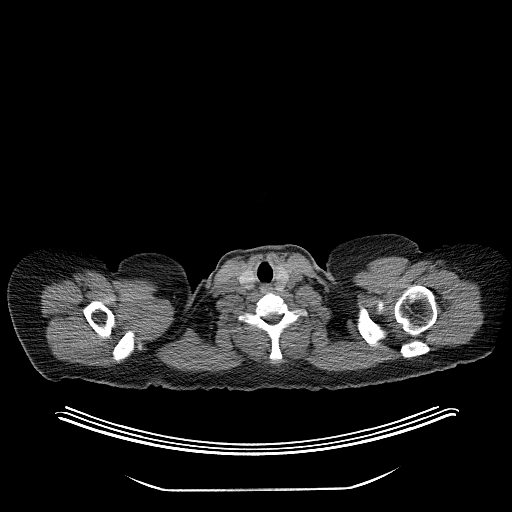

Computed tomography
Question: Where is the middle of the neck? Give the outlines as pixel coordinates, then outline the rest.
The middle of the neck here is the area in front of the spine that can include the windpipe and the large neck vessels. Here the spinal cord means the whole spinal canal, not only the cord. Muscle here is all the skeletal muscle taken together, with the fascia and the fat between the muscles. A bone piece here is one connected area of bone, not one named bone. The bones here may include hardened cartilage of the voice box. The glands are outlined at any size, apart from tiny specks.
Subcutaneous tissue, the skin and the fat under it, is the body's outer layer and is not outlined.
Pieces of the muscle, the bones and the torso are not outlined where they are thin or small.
Answer: Outlined structures:
middle of the neck 1: 262 258; 269 258; 277 263; 275 267; 274 278; 275 288; 278 291; 268 291; 264 293; 254 290; 247 293; 246 296; 240 296; 224 289; 225 281; 227 279; 233 278; 236 279; 243 288; 252 290; 255 287; 257 280; 252 265; 254 262
middle of the neck 2: 293 270; 298 270; 300 272; 301 272; 302 274; 302 278; 296 283; 296 284; 293 288; 291 289; 287 289; 286 288; 284 289; 285 286; 287 284; 287 283; 290 279; 289 278; 290 273; 291 271
bones 1: 268 292; 279 295; 291 308; 304 308; 307 311; 306 316; 299 316; 280 334; 279 348; 282 354; 282 359; 278 363; 272 363; 270 361; 271 340; 268 334; 254 325; 237 319; 239 314; 243 312; 251 312; 254 309; 256 302; inner edge: 271 313; 275 313; 276 314; 278 314; 279 315; 281 315; 281 318; 279 320; 279 321; 278 322; 277 322; 276 323; 269 323; 268 322; 267 322; 263 318; 263 317; 265 317; 266 316; 267 316; 269 314; 270 314
bones 2: 412 284; 417 284; 418 285; 425 286; 433 292; 435 296; 436 309; 437 310; 437 317; 435 320; 435 322; 429 328; 421 332; 417 336; 411 336; 408 334; 402 328; 402 325; 396 320; 394 315; 394 306; 397 300; 397 298; 405 289
bones 3: 94 300; 96 300; 97 301; 101 301; 109 309; 111 310; 112 313; 114 315; 114 318; 115 319; 115 324; 116 325; 112 330; 112 333; 111 334; 110 338; 102 338; 92 328; 83 313; 83 308; 88 303
bones 4: 360 307; 364 308; 367 311; 367 313; 370 318; 375 322; 378 323; 380 325; 380 326; 386 331; 387 334; 385 338; 380 341; 381 346; 379 347; 374 347; 370 345; 363 338; 363 337; 359 332; 357 328; 357 315; 358 314; 358 310
bones 5: 129 330; 131 330; 134 333; 135 341; 136 342; 140 340; 143 343; 144 348; 142 350; 139 350; 136 348; 130 356; 129 356; 126 359; 125 359; 120 363; 117 363; 115 361; 114 361; 112 358; 112 351; 119 339; 127 331
bones 6: 412 339; 418 339; 424 342; 429 347; 429 351; 428 351; 426 353; 424 353; 421 355; 419 355; 415 357; 412 357; 411 358; 404 358; 401 355; 400 353; 400 348; 401 347; 401 345; 404 342; 409 341
head and neck: 260 244; 294 244; 307 250; 316 263; 321 268; 324 268; 334 295; 335 329; 329 353; 319 369; 307 382; 290 389; 260 386; 251 383; 241 377; 238 377; 218 356; 206 335; 203 320; 203 294; 209 274; 221 256; 227 252; 238 248
spinal cord: 271 313; 275 313; 276 314; 278 314; 279 315; 281 315; 281 318; 279 320; 279 321; 278 322; 277 322; 276 323; 269 323; 268 322; 267 322; 263 318; 263 317; 265 317; 266 316; 267 316; 269 314; 270 314
torso 1: 380 233; 406 236; 416 242; 421 250; 401 270; 392 284; 391 302; 397 336; 407 341; 423 342; 456 366; 377 385; 336 390; 324 388; 317 391; 295 389; 307 383; 320 369; 334 341; 336 303; 332 284; 325 269; 329 251; 346 240
torso 2: 206 276; 202 294; 202 320; 205 335; 210 346; 221 361; 238 378; 260 387; 269 388; 253 391; 228 390; 225 388; 177 391; 159 386; 149 386; 142 390; 153 376; 155 358; 169 342; 185 315; 192 297; 192 287; 194 288; 200 280
right arm: 48 246; 70 247; 97 254; 110 271; 115 271; 119 262; 132 254; 151 251; 174 258; 185 269; 191 285; 191 297; 176 329; 154 358; 152 376; 141 390; 82 379; 64 378; 54 382; 33 367; 11 321; 7 284; 20 259; 33 250
left arm: 457 242; 473 242; 489 245; 499 250; 509 262; 509 281; 505 309; 492 351; 483 358; 457 365; 435 348; 424 344; 423 341; 400 338; 397 332; 394 317; 394 306; 392 302; 393 284; 409 262; 421 251; 426 252; 443 244; 451 245
thyroid glands 1: 249 266; 251 266; 251 267; 254 272; 254 275; 256 278; 256 280; 255 281; 255 285; 254 286; 254 287; 252 289; 247 289; 246 288; 243 287; 239 283; 239 282; 238 281; 238 276; 239 275; 239 274; 243 270; 244 270
thyroid glands 2: 278 264; 281 264; 283 265; 285 267; 286 267; 289 270; 290 272; 288 276; 288 278; 289 279; 286 283; 286 284; 284 286; 282 290; 278 290; 276 288; 276 279; 275 278; 276 277; 276 267; 278 265
muscle: 271 250; 302 254; 329 282; 334 298; 347 306; 354 304; 354 273; 373 259; 444 260; 480 286; 483 323; 463 346; 430 351; 412 338; 400 345; 403 358; 360 370; 327 371; 300 359; 192 372; 121 363; 145 348; 131 329; 114 345; 116 364; 110 367; 59 360; 47 345; 41 298; 74 272; 91 269; 109 280; 155 282; 157 294; 175 307; 170 329; 152 343; 157 346; 178 332; 226 260, around holes outlined by 262 258; 302 274; 293 288; 273 292; 291 308; 307 311; 306 316; 299 316; 280 334; 282 359; 278 363; 270 361; 268 334; 237 319; 239 314; 251 312; 265 294; 254 290; 240 296; 224 289; 227 279; 237 280; 243 270 and by 412 284; 417 284; 418 285; 425 286; 433 292; 435 296; 436 309; 437 310; 437 317; 435 320; 435 322; 429 328; 421 332; 417 336; 411 336; 408 334; 402 328; 402 325; 396 320; 394 315; 394 306; 397 300; 397 298; 405 289 and by 94 300; 96 300; 97 301; 101 301; 109 309; 111 310; 112 313; 114 315; 114 318; 115 319; 115 324; 116 325; 112 330; 112 333; 111 334; 110 338; 102 338; 92 328; 83 313; 83 308; 88 303 and by 360 307; 364 308; 367 311; 367 313; 370 318; 375 322; 378 323; 380 325; 380 326; 386 331; 387 334; 385 338; 380 341; 381 346; 379 347; 374 347; 370 345; 363 338; 363 337; 359 332; 357 328; 357 315; 358 314; 358 310 and by 379 300; 380 300; 381 301; 382 301; 382 302; 383 303; 383 309; 382 310; 382 311; 380 313; 379 313; 378 312; 377 312; 377 303; 378 302; 378 301